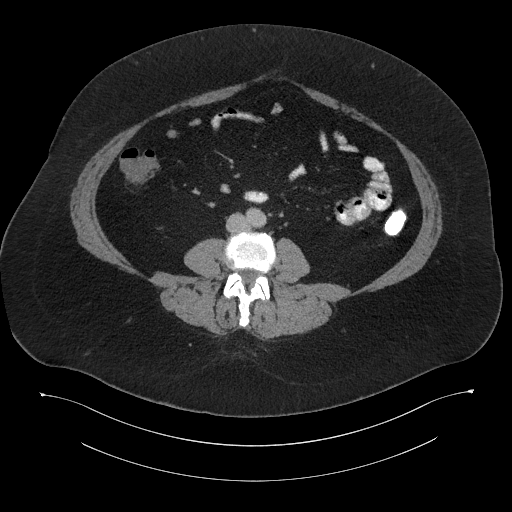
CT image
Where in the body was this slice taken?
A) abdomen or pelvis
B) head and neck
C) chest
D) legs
A) abdomen or pelvis
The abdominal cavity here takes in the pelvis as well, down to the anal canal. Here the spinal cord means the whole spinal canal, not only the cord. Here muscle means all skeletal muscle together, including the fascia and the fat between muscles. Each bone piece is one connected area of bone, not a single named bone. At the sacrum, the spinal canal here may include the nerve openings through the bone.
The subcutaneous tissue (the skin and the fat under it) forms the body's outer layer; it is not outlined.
Outlines:
torso: [[238,23],[310,27],[362,40],[416,67],[464,113],[487,165],[495,249],[503,278],[498,321],[474,355],[340,406],[284,416],[228,417],[151,402],[87,374],[44,365],[16,342],[4,302],[0,242],[46,159],[72,100],[102,69],[135,50],[182,33]]
spinal cord: [[242,269],[251,269],[252,270],[255,270],[258,272],[258,274],[257,275],[257,276],[254,279],[254,280],[253,281],[253,282],[251,284],[248,284],[247,285],[246,285],[243,282],[243,279],[239,273],[239,270],[241,270]]
muscle: [[262,74],[274,74],[276,76],[279,75],[291,78],[308,87],[325,93],[339,100],[341,102],[343,102],[347,105],[357,109],[382,126],[411,150],[424,164],[437,187],[442,207],[442,232],[441,235],[431,255],[425,264],[417,272],[397,283],[386,286],[379,290],[373,292],[360,293],[357,295],[350,296],[338,301],[337,302],[337,310],[335,314],[325,324],[315,329],[313,329],[309,332],[282,341],[262,341],[259,339],[257,339],[244,329],[238,329],[229,334],[226,337],[213,337],[178,321],[170,316],[161,305],[158,300],[158,295],[156,293],[156,288],[151,283],[132,274],[129,274],[124,271],[122,271],[118,269],[113,264],[105,261],[102,261],[100,259],[95,257],[78,243],[76,237],[76,232],[72,224],[72,221],[70,217],[70,212],[69,211],[70,194],[73,187],[76,184],[77,178],[84,165],[90,157],[114,135],[120,131],[141,121],[149,115],[157,111],[159,111],[171,104],[176,103],[181,100],[189,98],[192,96],[195,96],[204,92],[207,92],[210,90],[215,90],[222,87],[248,81]]; inner edge: [[262,80],[289,82],[389,138],[407,164],[421,223],[403,256],[356,289],[301,281],[310,264],[280,237],[266,274],[270,297],[250,303],[242,327],[239,299],[222,293],[231,271],[225,239],[184,253],[194,274],[140,271],[104,233],[96,194],[148,122]]
bones: [[250,231],[266,232],[271,236],[274,242],[276,259],[271,269],[266,274],[270,297],[268,299],[257,298],[250,303],[249,323],[242,327],[239,325],[239,299],[236,296],[227,298],[222,293],[226,278],[231,271],[225,261],[224,246],[226,240],[231,235]], around a hole outlined by [[242,269],[251,269],[252,270],[255,270],[258,272],[258,274],[257,275],[257,276],[254,279],[254,280],[253,281],[253,282],[251,284],[248,284],[247,285],[246,285],[243,282],[243,279],[239,273],[239,270],[241,270]]
abdominal cavity: [[262,80],[289,82],[380,132],[407,164],[421,206],[417,235],[398,261],[356,289],[301,281],[311,269],[301,248],[288,237],[274,241],[268,232],[255,230],[195,243],[183,255],[194,274],[140,271],[100,225],[100,182],[142,127],[179,109],[224,100]]